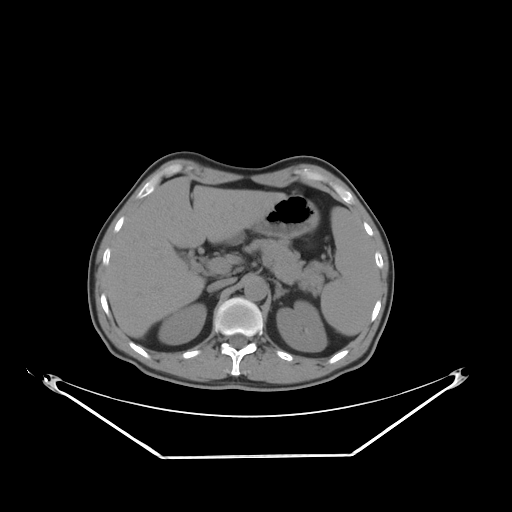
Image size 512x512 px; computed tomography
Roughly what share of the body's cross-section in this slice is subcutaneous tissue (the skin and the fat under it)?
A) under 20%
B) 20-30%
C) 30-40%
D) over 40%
A) under 20%
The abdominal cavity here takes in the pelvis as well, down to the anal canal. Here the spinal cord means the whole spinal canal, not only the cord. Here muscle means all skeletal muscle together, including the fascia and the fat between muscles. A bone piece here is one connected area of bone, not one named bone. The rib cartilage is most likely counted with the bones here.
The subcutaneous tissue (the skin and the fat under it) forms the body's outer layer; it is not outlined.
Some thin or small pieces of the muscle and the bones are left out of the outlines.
{"spinal_cord":[[[234,334],[241,334],[242,335],[243,335],[244,336],[247,337],[249,340],[248,341],[248,342],[244,346],[243,346],[240,348],[236,348],[235,347],[232,346],[228,342],[228,341],[227,340],[227,339],[229,336],[231,336]]],"abdominal_cavity":[[[180,172],[212,184],[250,179],[285,187],[312,179],[349,205],[371,240],[379,272],[379,295],[361,333],[326,357],[277,348],[263,333],[266,288],[250,281],[217,306],[212,336],[195,348],[157,351],[130,340],[114,322],[105,293],[112,244],[142,199]]],"mediastinum":[[[250,282],[259,282],[263,284],[263,286],[265,288],[265,297],[263,300],[263,302],[261,304],[261,305],[259,306],[259,307],[255,302],[241,295],[234,295],[232,296],[232,294],[233,294],[234,292],[239,290],[241,288],[243,288],[244,286],[249,284]]],"torso":[[[181,150],[249,167],[264,166],[294,155],[313,155],[332,163],[348,177],[381,223],[390,243],[395,270],[390,313],[365,364],[332,380],[293,390],[204,389],[152,377],[109,352],[93,327],[87,303],[87,268],[93,242],[108,215],[141,173],[161,156]]],"bones":[{"outer":[[234,296],[241,296],[255,303],[261,311],[263,319],[262,334],[257,334],[253,337],[256,349],[242,357],[239,363],[240,374],[237,376],[230,374],[232,359],[229,355],[221,353],[220,348],[225,337],[215,331],[213,323],[214,313],[218,306],[225,300]],"hole":[[234,334],[241,334],[242,335],[243,335],[244,336],[247,337],[249,340],[248,341],[248,342],[244,346],[243,346],[240,348],[236,348],[235,347],[232,346],[228,342],[228,341],[227,340],[227,339],[229,336],[231,336]]},[[303,168],[308,168],[312,171],[319,172],[326,176],[332,181],[337,183],[346,190],[349,191],[353,196],[353,203],[351,204],[347,204],[342,201],[338,194],[325,182],[315,180],[312,178],[301,178],[300,176],[298,174],[295,173],[294,171]],[[175,163],[178,163],[182,165],[183,168],[181,171],[177,173],[174,173],[171,175],[163,176],[161,178],[160,181],[155,186],[153,191],[142,198],[137,198],[136,197],[136,195],[141,189],[141,188],[145,184],[145,183],[147,182],[156,173],[165,167]],[[129,341],[132,341],[134,343],[135,343],[136,344],[141,346],[149,354],[149,355],[150,356],[150,358],[146,358],[145,357],[144,357],[142,355],[141,355],[139,353],[138,353],[136,351],[135,351],[132,348],[131,348],[128,343],[129,342]],[[342,349],[347,349],[348,350],[348,352],[342,358],[341,358],[340,359],[339,359],[338,360],[337,360],[335,362],[334,362],[333,363],[329,363],[328,362],[328,360],[330,358],[330,357],[332,355],[333,355],[336,352],[337,352],[338,351],[339,351]],[[102,293],[104,293],[105,294],[105,296],[106,297],[106,299],[107,300],[107,304],[108,305],[108,307],[109,308],[109,311],[111,314],[111,316],[110,317],[109,316],[108,316],[105,313],[105,312],[101,305],[101,302],[100,301],[100,296]],[[378,299],[379,299],[380,300],[380,301],[381,302],[381,305],[380,306],[379,311],[378,312],[378,313],[377,314],[375,319],[373,321],[371,321],[370,320],[370,318],[371,317],[371,314],[372,313],[372,310],[374,307],[374,305],[375,304],[376,301]],[[279,349],[280,350],[282,350],[283,351],[285,351],[286,352],[287,352],[288,353],[291,354],[293,356],[293,359],[292,360],[289,361],[288,360],[285,360],[284,359],[283,359],[282,358],[279,357],[276,354],[276,351]],[[121,216],[123,216],[124,217],[124,221],[123,222],[123,224],[121,226],[121,227],[120,228],[120,229],[117,232],[115,232],[114,231],[114,227],[115,226],[115,224],[116,223],[116,222],[119,219],[119,218]],[[364,221],[365,221],[370,226],[370,227],[372,229],[372,231],[373,232],[373,234],[371,236],[370,236],[366,232],[366,231],[365,230],[365,229],[364,228],[364,226],[363,225],[363,222]]],"muscle":[[[177,158],[243,175],[309,163],[326,169],[346,184],[375,224],[388,259],[385,307],[360,357],[325,375],[295,383],[270,383],[240,375],[241,360],[257,349],[254,337],[263,334],[267,343],[278,349],[275,354],[285,361],[292,361],[294,356],[329,357],[327,362],[333,364],[349,352],[343,348],[376,319],[382,305],[378,298],[378,269],[384,266],[384,261],[382,254],[374,251],[370,237],[374,234],[373,229],[365,220],[362,222],[350,206],[354,196],[349,190],[308,167],[293,171],[299,179],[285,186],[274,186],[250,178],[212,183],[181,172],[184,168],[181,163],[171,163],[140,188],[135,197],[141,201],[125,220],[123,215],[118,218],[113,227],[117,233],[111,247],[103,250],[101,263],[106,269],[100,305],[129,340],[131,349],[146,359],[151,356],[145,349],[182,352],[181,357],[189,359],[201,353],[196,348],[207,342],[214,330],[224,337],[219,348],[221,354],[231,359],[230,375],[209,381],[186,379],[154,369],[113,344],[100,325],[95,304],[95,261],[99,246],[109,225],[139,185],[162,164]],[[321,182],[322,182],[323,183],[325,183],[326,184],[327,184],[335,192],[334,192],[333,191],[332,191],[325,184],[324,184],[323,183],[322,183]]]}